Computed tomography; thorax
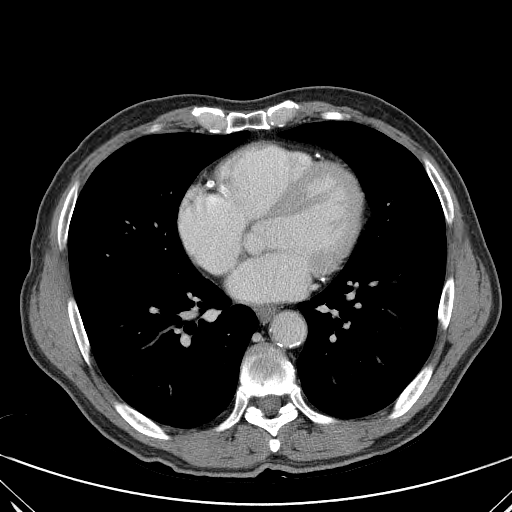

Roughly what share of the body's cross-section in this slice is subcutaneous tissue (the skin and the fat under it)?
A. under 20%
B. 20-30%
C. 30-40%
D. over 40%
Answer: A. under 20%
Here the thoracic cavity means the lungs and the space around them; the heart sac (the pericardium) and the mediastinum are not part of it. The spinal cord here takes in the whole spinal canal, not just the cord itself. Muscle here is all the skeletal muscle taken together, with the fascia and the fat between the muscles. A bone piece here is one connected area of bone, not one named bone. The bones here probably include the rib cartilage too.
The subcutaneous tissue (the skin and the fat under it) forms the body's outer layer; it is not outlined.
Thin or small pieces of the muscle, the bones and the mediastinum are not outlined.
The bones appear in 9 outlined pieces: piece 1: 262,344 279,349 291,362 296,369 296,382 305,401 319,412 338,420 331,424 319,424 299,411 296,418 278,429 276,437 280,445 275,452 269,447 271,434 243,417 228,429 220,432 212,430 233,406 246,350 with a hole at 267,395 275,395 276,396 279,396 281,397 281,399 282,400 282,404 281,406 278,409 277,411 277,413 275,415 273,415 272,416 266,416 264,414 264,413 257,406 257,400 259,398 261,397 264,397; piece 2: 287,99 298,102 302,106 301,109 297,112 295,117 285,125 274,126 269,129 247,128 229,133 211,133 198,125 189,114 190,110 194,106 215,106 221,108 226,113 230,111 248,113 258,109 266,110 269,106; piece 3: 430,363 433,365 433,371 426,386 424,388 423,391 419,397 406,412 400,416 398,416 392,419 389,419 387,416 391,411 393,403 395,400 402,392 402,391 408,385 408,384 415,377 415,376 419,372 423,366; piece 4: 114,400 123,401 125,402 138,412 141,413 157,424 160,425 166,430 166,432 171,437 171,438 166,440 165,439 160,439 159,438 156,438 155,437 152,437 151,436 146,435 136,430 117,412 113,405 113,401; piece 5: 76,180 79,181 79,191 73,208 71,218 69,222 69,227 68,228 68,233 67,234 67,241 66,242 66,248 64,248 62,250 59,250 58,244 57,243 57,227 58,226 59,216 65,198 72,185; piece 6: 423,157 427,158 434,166 449,192 449,194 453,204 453,213 454,214 453,220 451,224 449,225 446,223 445,217 444,216 444,213 443,212 443,209 442,208 440,200 435,190 435,188 422,162 422,159; piece 7: 70,296 73,296 75,300 83,324 83,327 85,330 87,338 89,341 89,345 90,346 90,356 91,357 91,366 90,367 89,367 86,363 81,353 81,351 78,346 69,319 69,315 67,310 67,301 68,298; piece 8: 450,275 452,275 454,279 454,296 453,297 453,305 452,306 452,309 451,310 451,315 449,319 449,322 446,329 444,330 438,325 437,313 438,312 438,308 439,307 440,298 441,297 443,286 445,282 445,279; piece 9: 327,110 335,110 336,111 339,111 340,112 345,112 346,113 348,113 350,115 350,118 349,119 346,119 345,120 336,120 335,119 322,119 321,118 321,117 320,116 320,114 322,112 323,112 324,111 326,111. The thoracic cavity appears in 2 outlined pieces: piece 1: 183,130 222,135 246,130 249,134 197,174 179,204 176,225 197,271 232,304 249,307 258,321 240,363 229,412 216,424 190,428 157,423 124,401 106,380 91,352 74,297 67,248 79,192 96,166 143,135; piece 2: 315,120 365,124 404,146 423,165 445,221 445,278 431,350 422,367 391,404 356,418 339,418 314,408 304,398 297,382 297,359 309,330 298,303 310,300 333,280 372,215 356,175 342,159 323,147 278,135. The muscle is outlined by 297,101 322,101 359,110 405,133 434,158 456,196 473,254 488,274 490,314 432,400 369,446 322,459 293,460 272,453 247,467 195,466 135,439 112,423 50,362 30,328 30,296 43,269 54,209 76,168 117,133 187,106 193,106 188,114 204,130 163,131 164,124 154,122 142,135 100,161 80,189 76,179 58,216 56,243 59,251 67,249 73,295 67,298 66,310 73,335 87,366 92,366 91,353 122,400 112,401 114,409 136,431 166,441 172,437 162,426 190,429 215,425 211,430 220,433 243,418 270,434 268,447 275,453 281,445 279,429 299,412 315,424 331,425 337,418 361,418 392,404 386,417 395,419 412,407 427,386 434,365 425,363 438,326 446,330 452,315 455,279 452,274 446,277 446,224 454,220 454,204 435,166 425,156 421,162 385,133 350,119 345,111 327,109 319,114 321,119 291,121 303,107. The torso is outlined by 310,85 353,88 386,100 441,146 468,190 495,265 502,299 498,323 434,421 391,453 305,473 268,468 247,478 177,473 159,462 142,461 104,437 25,348 19,297 41,199 86,134 134,102 180,93 252,99. The mediastinum appears in 3 outlined pieces: piece 1: 297,302 298,302 297,308 302,313 307,323 308,330 307,337 303,347 296,359 295,367 288,357 279,348 268,343 254,344 247,349 248,344 259,325 259,321 256,314 248,306 283,305 284,304 293,304; piece 2: 301,121 310,121 305,121 291,128 281,130 277,133 277,135 281,138 302,142 303,143 307,144 308,144 309,144 312,144 325,149 322,149 313,145 310,145 309,144 305,143 304,143 299,143 284,139 276,140 261,139 248,140 243,142 250,134 247,129 269,130 274,127 283,127 290,122; piece 3: 325,286 326,286 321,291 320,291 318,293 313,295 310,298 310,299 309,299 308,300 303,300 305,300 306,299 309,298 310,297 310,296 311,296 314,293 317,292 319,290 321,290 322,289 322,288 323,288. The pericardium is outlined by 261,140 284,140 331,152 351,169 366,201 367,211 365,223 341,269 321,289 309,297 293,303 248,305 234,302 217,284 195,267 184,249 178,231 177,219 180,204 188,188 200,173 212,162 240,144 248,141. The spinal cord is outlined by 267,395 275,395 276,396 279,396 281,397 281,399 282,400 282,404 281,406 278,409 277,411 277,413 275,415 273,415 272,416 266,416 264,414 264,413 257,406 257,400 259,398 261,397 264,397.